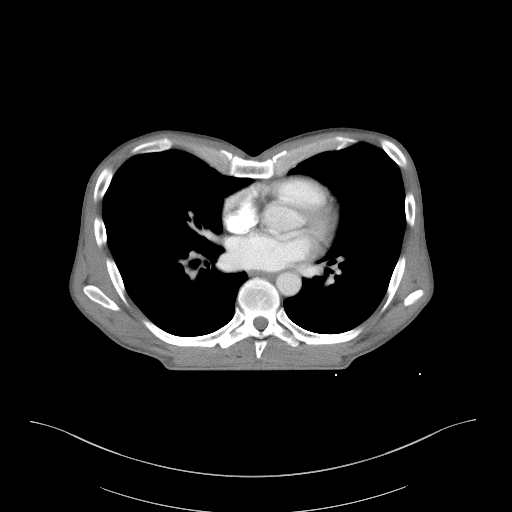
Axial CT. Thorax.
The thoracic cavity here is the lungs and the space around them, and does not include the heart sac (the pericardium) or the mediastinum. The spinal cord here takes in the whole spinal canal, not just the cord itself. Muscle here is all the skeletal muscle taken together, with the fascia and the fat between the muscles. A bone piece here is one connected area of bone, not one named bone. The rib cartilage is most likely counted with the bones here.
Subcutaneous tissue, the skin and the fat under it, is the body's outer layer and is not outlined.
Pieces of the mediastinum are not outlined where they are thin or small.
Outlines:
spinal cord: [[260,316],[261,317],[263,317],[264,318],[265,318],[267,320],[267,324],[266,325],[266,326],[263,329],[262,329],[261,330],[256,328],[255,327],[255,326],[254,325],[254,323],[253,322],[254,321],[254,319],[255,318],[256,318],[257,317],[259,317]]
bones 1: [[254,277],[274,286],[287,316],[300,327],[336,334],[362,324],[362,331],[344,342],[308,344],[301,341],[297,346],[270,335],[259,358],[251,336],[226,348],[218,344],[207,347],[167,343],[145,326],[143,318],[178,336],[211,333],[233,317],[239,288]] with a hole at [[260,316],[261,317],[263,317],[264,318],[265,318],[267,320],[267,324],[266,325],[266,326],[263,329],[262,329],[261,330],[256,328],[255,327],[255,326],[254,325],[254,323],[253,322],[254,321],[254,319],[255,318],[256,318],[257,317],[259,317]]
bones 2: [[334,136],[353,138],[356,139],[357,142],[340,149],[318,152],[298,162],[283,174],[274,175],[269,178],[251,178],[223,174],[206,161],[190,152],[182,144],[184,142],[190,142],[215,149],[224,149],[242,158],[262,161],[282,150],[289,150],[300,145]]
bones 3: [[400,254],[402,254],[405,257],[405,267],[403,271],[403,274],[401,277],[400,282],[395,291],[395,293],[392,299],[386,308],[382,312],[381,312],[380,311],[381,310],[381,308],[386,299],[386,291],[387,290],[393,270],[395,267],[395,265]]
bones 4: [[164,137],[167,137],[177,142],[177,143],[175,143],[173,146],[169,149],[166,149],[161,151],[142,152],[141,153],[136,153],[135,154],[132,154],[131,153],[131,150],[135,146],[139,144],[141,144],[148,141],[155,140],[156,139],[160,139]]
bones 5: [[88,284],[90,284],[91,285],[94,285],[95,286],[98,287],[110,299],[111,299],[114,302],[115,302],[115,303],[119,307],[119,310],[113,310],[112,309],[110,309],[109,308],[104,307],[100,304],[91,300],[84,293],[84,292],[83,291],[83,287]]
bones 6: [[107,258],[112,258],[115,262],[115,264],[119,271],[119,273],[121,276],[121,278],[126,291],[125,293],[125,297],[127,300],[128,305],[126,305],[121,299],[120,296],[118,294],[116,289],[112,283],[112,281],[107,270],[107,266],[106,265],[106,259]]
bones 7: [[106,167],[110,167],[114,171],[114,173],[104,193],[104,195],[103,197],[101,199],[98,199],[96,201],[94,201],[93,199],[93,193],[94,192],[94,188],[95,187],[95,184],[96,183],[96,181],[98,178],[98,176],[100,174],[102,170]]
bones 8: [[381,139],[386,139],[387,140],[389,140],[391,142],[392,142],[402,152],[402,153],[404,155],[404,156],[406,159],[406,161],[407,162],[407,164],[405,167],[400,167],[388,155],[388,154],[381,147],[381,146],[380,145],[380,141],[381,140]]
bones 9: [[406,192],[411,192],[412,193],[412,194],[413,195],[413,197],[414,198],[414,201],[415,202],[415,218],[414,219],[414,224],[413,225],[413,226],[410,226],[409,225],[408,225],[407,224],[407,223],[406,222],[406,216],[405,215],[405,193]]
bones 10: [[97,216],[99,217],[101,217],[102,218],[103,220],[103,222],[104,223],[104,226],[105,227],[105,231],[106,232],[106,243],[102,245],[100,247],[98,246],[96,242],[96,240],[95,239],[95,235],[94,234],[94,219],[95,217]]
bones 11: [[417,289],[422,289],[424,292],[423,295],[421,297],[420,297],[415,302],[414,302],[412,304],[411,304],[410,305],[408,305],[407,306],[404,305],[404,304],[403,303],[403,301],[404,300],[405,297],[408,294],[409,294],[411,292],[412,292]]
pericardium: [[294,174],[306,175],[317,180],[327,186],[337,198],[340,207],[339,221],[330,247],[321,257],[299,267],[286,267],[275,271],[245,269],[240,267],[234,258],[228,253],[224,244],[224,239],[222,237],[221,212],[224,198],[252,182],[274,178],[276,176]]
thoracic cavity 1: [[172,148],[193,154],[223,175],[251,179],[223,198],[219,234],[224,253],[233,264],[231,271],[243,271],[247,279],[238,288],[232,317],[219,328],[198,335],[168,332],[136,305],[127,293],[112,257],[102,217],[105,193],[115,172],[126,160],[136,154]]
thoracic cavity 2: [[358,142],[381,148],[399,167],[406,223],[400,253],[385,294],[365,320],[341,332],[316,332],[294,322],[283,302],[300,293],[303,280],[310,276],[308,270],[329,251],[339,226],[341,207],[327,185],[306,174],[289,174],[289,170],[318,153],[340,150]]
mediastinum: [[224,245],[227,253],[240,268],[263,272],[275,272],[286,268],[299,268],[325,255],[307,270],[309,276],[302,280],[299,293],[285,298],[282,304],[278,291],[267,279],[259,276],[248,278],[246,272],[243,270],[237,272],[232,271],[234,264],[226,255]]
torso: [[330,126],[369,128],[395,137],[411,155],[418,173],[434,293],[419,315],[387,343],[356,358],[344,370],[172,371],[152,357],[116,344],[75,307],[68,293],[68,278],[85,187],[96,165],[118,144],[151,130],[173,128],[219,137],[256,155],[290,136]]
muscle 1: [[162,132],[181,133],[220,142],[235,149],[243,157],[224,148],[190,141],[181,143],[188,151],[175,148],[173,147],[178,142],[164,136],[135,145],[130,150],[132,155],[115,171],[106,166],[97,176],[92,199],[94,202],[102,201],[101,216],[97,215],[93,219],[95,242],[99,248],[107,244],[111,257],[105,259],[106,270],[120,299],[128,306],[126,293],[129,296],[146,317],[141,322],[158,339],[180,347],[212,348],[218,345],[226,349],[251,337],[254,339],[255,357],[259,359],[270,336],[291,347],[297,347],[301,342],[308,345],[338,344],[357,337],[363,331],[362,323],[374,312],[384,296],[379,311],[381,313],[393,299],[406,267],[406,257],[401,253],[406,225],[413,227],[415,224],[415,198],[411,191],[405,191],[400,169],[405,168],[408,162],[403,152],[390,140],[408,158],[417,186],[420,236],[430,283],[426,297],[396,328],[369,346],[344,356],[341,362],[331,365],[249,368],[178,366],[167,356],[123,341],[90,315],[73,291],[73,276],[83,239],[87,196],[93,177],[109,157],[128,143]]; inner edges: [[88,284],[90,284],[91,285],[94,285],[95,286],[98,287],[110,299],[111,299],[114,302],[115,302],[115,303],[119,307],[119,310],[113,310],[112,309],[110,309],[109,308],[104,307],[100,304],[91,300],[84,293],[84,292],[83,291],[83,287]], then [[417,289],[422,289],[424,292],[423,295],[421,297],[420,297],[415,302],[414,302],[412,304],[411,304],[410,305],[408,305],[407,306],[404,305],[404,304],[403,303],[403,301],[404,300],[405,297],[408,294],[409,294],[411,292],[412,292]]
muscle 2: [[334,131],[358,131],[359,132],[369,132],[370,133],[374,133],[383,136],[389,139],[381,138],[379,141],[380,147],[369,142],[358,141],[356,138],[353,137],[343,136],[342,135],[334,135],[333,136],[320,138],[303,144],[300,144],[289,149],[282,149],[276,152],[270,157],[268,157],[262,160],[259,160],[270,150],[284,143],[290,142],[297,139],[304,138],[308,136],[312,136],[313,135],[321,134],[326,132],[333,132]]